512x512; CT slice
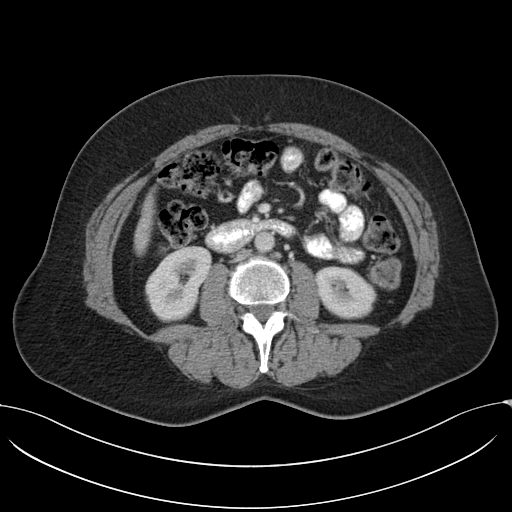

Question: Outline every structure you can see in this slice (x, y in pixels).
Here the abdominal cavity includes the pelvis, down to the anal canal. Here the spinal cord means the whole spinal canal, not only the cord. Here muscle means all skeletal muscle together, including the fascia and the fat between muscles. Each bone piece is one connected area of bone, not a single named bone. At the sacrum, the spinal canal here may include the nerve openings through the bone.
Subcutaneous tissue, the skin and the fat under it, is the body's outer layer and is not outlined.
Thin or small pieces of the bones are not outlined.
Answer: {"torso":[[[262,73],[309,75],[356,88],[399,112],[431,141],[462,201],[497,306],[498,331],[485,360],[457,379],[356,418],[330,419],[259,400],[179,427],[112,411],[35,376],[16,348],[12,309],[42,254],[61,188],[81,147],[112,115],[155,90],[199,77]]],"muscle":[{"outer":[[277,122],[329,131],[389,163],[421,192],[430,205],[438,236],[440,259],[433,302],[405,326],[383,331],[333,377],[286,387],[263,374],[242,389],[220,383],[204,388],[184,376],[155,344],[131,335],[85,304],[86,224],[116,184],[186,135],[217,124]],"hole":[[252,131],[329,145],[370,171],[399,212],[415,261],[405,304],[381,325],[318,321],[314,273],[294,261],[284,309],[297,318],[287,316],[273,336],[265,373],[224,263],[202,286],[201,325],[148,333],[119,306],[113,284],[116,245],[149,179],[187,150]]}],"spinal_cord":[[[260,304],[265,304],[266,305],[272,305],[273,306],[274,306],[274,307],[275,308],[275,309],[271,313],[271,314],[268,317],[268,318],[265,321],[264,321],[263,322],[261,322],[249,310],[249,308],[250,307],[250,306],[251,306],[252,305],[259,305]]],"bones":[{"outer":[[255,256],[266,257],[283,267],[289,278],[290,285],[284,302],[284,309],[297,318],[287,316],[284,319],[283,329],[273,336],[267,361],[268,370],[265,373],[259,370],[259,348],[255,339],[242,329],[240,318],[242,306],[228,293],[228,285],[235,266]],"hole":[[260,304],[265,304],[266,305],[272,305],[273,306],[274,306],[274,307],[275,308],[275,309],[271,313],[271,314],[268,317],[268,318],[265,321],[264,321],[263,322],[261,322],[249,310],[249,308],[250,307],[250,306],[251,306],[252,305],[259,305]]}],"abdominal_cavity":[[[252,131],[329,145],[384,186],[415,261],[411,291],[397,315],[381,325],[318,321],[313,271],[294,261],[291,286],[284,267],[263,255],[237,263],[228,284],[228,267],[213,264],[199,297],[205,324],[148,333],[119,306],[114,252],[149,179],[187,150]]]}